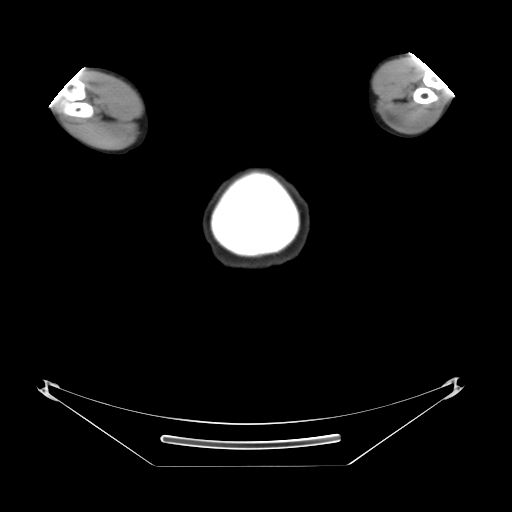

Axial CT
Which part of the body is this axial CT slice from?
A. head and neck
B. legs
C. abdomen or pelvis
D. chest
A. head and neck
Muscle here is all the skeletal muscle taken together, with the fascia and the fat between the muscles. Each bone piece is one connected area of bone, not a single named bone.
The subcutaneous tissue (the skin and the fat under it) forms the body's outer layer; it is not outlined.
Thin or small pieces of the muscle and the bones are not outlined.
Outlines:
left arm: 405,51 407,51 409,53 412,53 429,66 445,82 454,94 454,97 449,108 441,119 431,129 423,135 409,139 392,135 382,129 374,121 368,107 366,95 366,87 368,76 374,65 386,56 396,53 401,53
muscle 1: 80,67 117,77 136,92 142,105 142,114 136,120 139,125 139,134 135,141 128,146 110,150 83,142 66,129 49,105 60,93 71,102 63,107 66,116 90,118 94,114 93,105 85,100 86,84 72,77
muscle 2: 410,53 431,70 423,73 423,82 426,87 417,86 411,93 415,103 427,105 439,99 428,88 430,87 436,89 447,87 453,93 435,121 415,134 399,132 382,119 376,110 378,97 372,87 374,75 384,63
muscle 3: 261,169 267,169 277,174 285,180 285,181 293,188 301,200 303,205 303,208 305,211 305,218 306,219 305,229 301,237 300,237 292,246 279,254 271,256 267,256 260,259 245,258 258,258 263,256 268,256 269,255 273,255 274,254 280,253 282,251 285,250 296,239 300,232 301,226 302,225 301,211 292,194 286,186 274,174 264,169
muscle 4: 241,172 243,172 242,172 237,176 234,177 220,193 216,201 211,208 211,210 209,213 209,216 208,217 208,228 209,229 210,234 214,241 221,248 222,248 223,249 222,249 217,246 214,243 214,242 212,241 206,229 206,223 207,222 207,219 208,218 208,211 209,210 210,205 214,197 216,195 220,188 223,185 223,184 228,180 229,180 231,178
bones 1: 255,168 271,173 285,186 298,206 300,211 301,225 299,232 295,239 285,249 280,252 268,255 263,255 258,257 243,257 235,255 227,251 215,241 209,228 209,217 212,208 219,196 230,182 234,178 242,173
bones 2: 71,78 73,78 76,80 83,82 85,84 85,92 86,93 86,95 84,100 86,102 92,105 93,107 93,114 90,117 79,117 78,116 66,115 64,111 64,107 72,102 62,93 60,92 58,93 58,92
bones 3: 432,70 445,82 447,86 440,87 439,88 436,88 433,86 428,87 427,88 438,97 438,99 436,101 427,104 417,103 413,100 412,93 417,87 425,87 426,88 427,87 424,82 424,73 426,72 431,72
right arm: 85,66 98,66 116,71 132,80 141,90 147,104 150,125 147,137 144,142 136,149 131,150 120,155 100,153 97,151 92,150 76,141 72,137 68,135 55,121 50,111 49,104 79,68 80,67 83,68
head and neck: 250,165 268,165 287,177 295,184 300,192 305,197 309,204 311,211 311,230 307,243 300,255 294,261 282,266 264,271 234,270 222,266 216,261 208,249 204,241 200,226 202,211 206,202 220,182 234,171